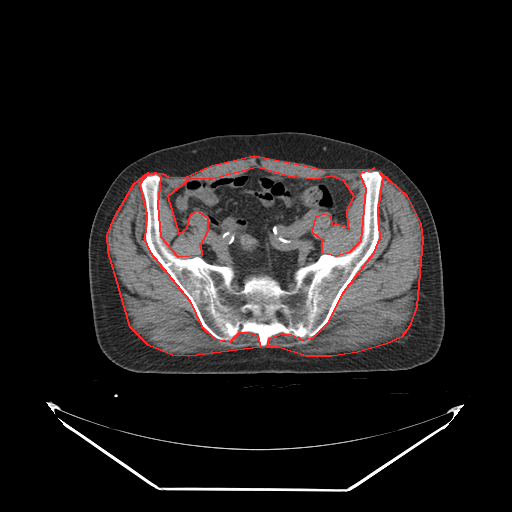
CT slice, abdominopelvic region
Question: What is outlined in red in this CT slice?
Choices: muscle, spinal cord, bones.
Answer: red: muscle.
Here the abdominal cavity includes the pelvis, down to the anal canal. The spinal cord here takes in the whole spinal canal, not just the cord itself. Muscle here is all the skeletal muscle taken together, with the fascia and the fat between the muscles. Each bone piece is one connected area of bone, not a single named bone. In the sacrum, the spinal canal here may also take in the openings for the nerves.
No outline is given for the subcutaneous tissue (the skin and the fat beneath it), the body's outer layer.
muscle 1: 254,155 322,169 374,168 359,174 365,188 360,241 349,252 336,256 322,253 322,240 312,232 316,216 323,213 330,215 331,225 336,223 348,227 347,209 354,196 344,181 331,176 314,179 288,176 257,167 215,178 189,179 167,196 178,233 187,228 190,215 196,210 207,217 207,231 200,244 201,255 178,257 161,237 158,204 161,177 160,176 158,174 156,173 154,173 153,174 147,174 139,184 146,214 144,239 149,251 189,300 201,326 214,338 230,341 239,332 248,332 257,335 260,347 188,356 172,355 148,345 130,327 108,251 107,235 115,215 134,183 148,172 162,173 167,176 184,177 211,165
muscle 2: 379,171 406,195 420,223 422,239 416,306 409,326 401,337 385,344 357,352 331,356 306,356 278,347 267,347 269,338 281,333 291,334 302,339 313,337 329,321 343,292 374,252 380,237 378,210 383,177
spinal cord 1: 256,318 261,318 262,319 270,319 270,322 269,322 268,323 263,323 262,322 257,322 257,321 256,320
spinal cord 2: 233,283 237,283 238,284 241,284 242,285 242,287 240,289 234,289 232,287 232,284
spinal cord 3: 287,283 288,283 289,283 290,283 291,283 292,283 293,284 294,285 294,286 294,287 294,288 293,289 292,290 291,290 290,290 289,290 288,290 287,290 286,289 286,288 286,287 286,286 286,285 286,284
bones: 375,170 382,177 377,245 311,337 281,332 260,346 256,333 239,331 218,340 145,239 140,182 156,174 160,237 172,254 231,267 234,290 252,275 268,275 292,291 298,269 359,244 366,197 360,174, around a hole outlined by 256,318 261,318 262,319 270,319 270,322 269,322 268,323 263,323 262,322 257,322 257,321 256,320
abdominal cavity: 257,168 303,179 335,178 353,196 347,227 331,224 327,212 315,216 311,232 321,240 321,254 298,268 294,284 287,282 285,288 268,274 233,282 231,266 201,256 207,214 196,209 178,232 167,200 189,180
torso: 283,131 321,135 371,149 398,165 421,191 436,225 443,271 445,329 436,355 426,363 405,370 330,373 143,373 130,371 113,363 101,351 96,340 88,278 88,239 91,225 113,180 133,161 162,148 214,135